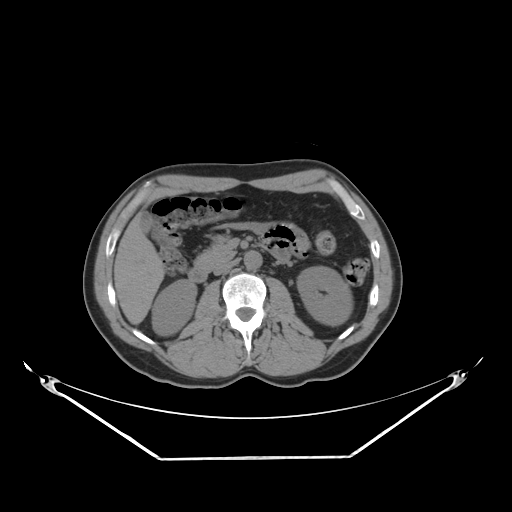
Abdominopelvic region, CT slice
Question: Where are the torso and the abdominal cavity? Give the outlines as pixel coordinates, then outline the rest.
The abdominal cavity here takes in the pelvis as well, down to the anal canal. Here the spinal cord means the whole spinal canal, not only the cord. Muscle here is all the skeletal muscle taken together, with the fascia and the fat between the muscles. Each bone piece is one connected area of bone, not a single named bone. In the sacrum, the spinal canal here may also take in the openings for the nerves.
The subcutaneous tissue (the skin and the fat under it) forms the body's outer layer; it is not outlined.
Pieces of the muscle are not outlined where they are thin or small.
Answer: torso: [[289,158],[319,159],[344,173],[379,212],[397,246],[403,273],[399,306],[367,354],[342,376],[289,388],[252,376],[221,388],[183,388],[155,381],[128,366],[92,323],[82,292],[86,251],[95,227],[107,208],[136,178],[160,166],[182,162],[254,163]]
abdominal cavity: [[240,184],[325,192],[345,206],[368,241],[372,263],[361,319],[335,337],[316,337],[278,278],[264,280],[246,271],[230,275],[221,289],[219,279],[208,283],[194,318],[172,340],[156,341],[124,319],[112,265],[131,216],[166,195],[221,191]]
muscle: [[310,168],[322,168],[325,169],[333,173],[342,180],[364,202],[370,210],[375,218],[386,242],[389,252],[391,266],[393,271],[393,283],[392,284],[391,297],[389,304],[385,310],[379,323],[367,338],[340,350],[329,361],[323,365],[315,369],[297,375],[292,375],[291,376],[272,376],[259,371],[255,367],[251,365],[250,366],[244,366],[236,373],[226,377],[195,378],[181,374],[169,368],[154,356],[152,353],[137,348],[126,343],[119,338],[112,331],[103,317],[100,311],[99,305],[95,297],[95,293],[94,292],[94,264],[95,263],[95,259],[96,258],[96,254],[98,249],[100,237],[104,226],[113,210],[119,202],[131,190],[135,188],[142,182],[145,181],[143,185],[129,200],[120,213],[120,215],[123,218],[127,218],[128,216],[142,203],[146,197],[148,188],[152,183],[152,182],[148,179],[151,177],[160,174],[169,174],[171,173],[172,174],[186,174],[187,175],[193,175],[194,176],[208,176],[209,177],[232,177],[241,180],[250,180],[256,178],[274,177],[275,176],[293,173]]; inner edge: [[327,178],[336,180],[361,207],[365,219],[356,221],[367,240],[376,239],[380,248],[378,258],[370,253],[377,303],[366,304],[344,338],[316,337],[297,315],[287,287],[272,276],[264,280],[266,315],[252,333],[249,358],[241,334],[223,319],[219,279],[205,286],[194,318],[179,335],[155,345],[136,336],[118,304],[110,304],[107,284],[114,254],[105,255],[107,238],[144,204],[166,195],[247,184],[325,192],[343,205]]
bones 1: [[241,272],[246,272],[259,276],[264,281],[267,290],[266,297],[263,304],[266,315],[262,320],[260,326],[255,329],[252,333],[249,358],[247,357],[247,352],[241,334],[236,329],[232,328],[227,320],[223,319],[226,307],[221,293],[222,285],[230,276]], around a hole outlined by [[245,307],[247,308],[251,308],[253,309],[254,311],[254,313],[252,315],[252,316],[248,320],[246,321],[244,320],[242,320],[237,315],[236,313],[238,309],[240,308],[244,308]]
bones 2: [[327,178],[331,178],[332,179],[336,180],[345,189],[345,190],[352,198],[352,199],[361,207],[365,216],[365,219],[364,220],[360,220],[359,219],[357,219],[353,216],[352,216],[349,213],[346,206],[344,204],[342,200],[326,182],[326,179]]
bones 3: [[147,180],[150,181],[151,183],[147,188],[147,191],[146,192],[145,197],[143,199],[141,203],[131,213],[130,213],[129,215],[127,216],[127,217],[123,217],[121,215],[121,213],[122,211],[130,201],[130,200],[144,185],[145,182]]
bones 4: [[114,227],[119,228],[121,230],[121,232],[120,233],[120,234],[117,239],[117,241],[115,244],[115,247],[114,248],[113,253],[110,256],[107,257],[105,255],[105,245],[106,244],[106,241],[107,240],[107,238],[108,237],[109,234],[111,232],[112,229]]
bones 5: [[374,283],[376,283],[378,286],[378,300],[377,301],[377,303],[376,304],[376,305],[375,305],[374,306],[371,306],[369,304],[369,303],[368,302],[368,300],[369,299],[369,293],[370,292],[370,289],[371,288],[371,287],[372,286],[372,285]]
bones 6: [[109,281],[111,281],[112,282],[112,284],[113,285],[113,287],[114,288],[114,290],[115,291],[115,298],[116,299],[116,305],[115,306],[112,306],[110,304],[110,303],[109,302],[109,301],[108,300],[108,295],[107,294],[107,284],[108,283],[108,282]]
bones 7: [[370,238],[374,238],[375,239],[376,239],[377,240],[377,241],[379,244],[379,247],[380,248],[380,255],[378,258],[375,258],[373,256],[373,255],[371,252],[371,250],[370,249],[370,246],[369,245],[369,241],[370,240]]
bones 8: [[132,328],[135,328],[136,329],[139,330],[145,335],[146,335],[149,338],[150,338],[152,340],[153,340],[156,343],[156,344],[155,345],[152,345],[151,344],[150,344],[149,343],[147,343],[145,341],[140,339],[132,332],[132,331],[131,330],[131,329]]
bones 9: [[352,324],[354,324],[354,328],[352,330],[352,331],[348,335],[347,335],[344,338],[343,338],[342,339],[341,339],[340,340],[337,340],[337,337],[342,332],[343,332],[348,327],[349,327]]
spinal cord: [[245,307],[247,308],[251,308],[253,309],[254,311],[254,313],[252,315],[252,316],[248,320],[246,321],[244,320],[242,320],[237,315],[236,313],[238,309],[240,308],[244,308]]